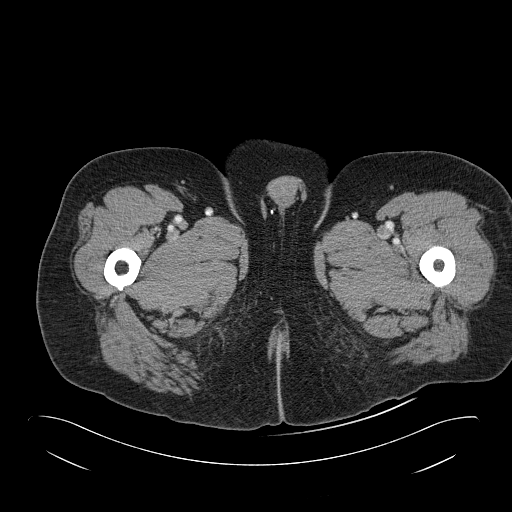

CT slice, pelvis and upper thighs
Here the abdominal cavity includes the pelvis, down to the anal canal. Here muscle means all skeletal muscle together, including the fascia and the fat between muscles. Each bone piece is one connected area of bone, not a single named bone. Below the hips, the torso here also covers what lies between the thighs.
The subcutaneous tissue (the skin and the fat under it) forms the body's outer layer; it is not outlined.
Outlines (x, y in pixels):
bones 1: (118, 247) (129, 247) (131, 248) (138, 255) (141, 260) (141, 265) (140, 266) (140, 268) (139, 269) (136, 279) (131, 284) (125, 286) (122, 290) (119, 290) (116, 287) (111, 285) (105, 279) (103, 274) (103, 269) (104, 268) (105, 261) (108, 255) (113, 250)
bones 2: (432, 245) (441, 245) (446, 248) (448, 248) (452, 252) (454, 256) (454, 258) (455, 259) (455, 274) (454, 275) (454, 277) (453, 279) (448, 284) (442, 287) (436, 287) (432, 283) (428, 281) (422, 275) (419, 270) (419, 267) (418, 266) (419, 260) (420, 259) (421, 255)
torso 1: (243, 136) (260, 136) (300, 146) (305, 146) (319, 152) (327, 159) (329, 163) (330, 181) (325, 197) (325, 202) (319, 215) (309, 225) (296, 231) (289, 238) (287, 242) (243, 220) (239, 216) (236, 210) (236, 207) (231, 198) (227, 181) (222, 170) (223, 160) (230, 147)
torso 2: (283, 317) (284, 317) (285, 325) (286, 326) (286, 335) (287, 336) (287, 344) (286, 345) (286, 352) (279, 365) (279, 368) (277, 367) (277, 366) (273, 362) (273, 360) (271, 358) (271, 337) (272, 336) (272, 332) (273, 331) (273, 329) (275, 325) (276, 325)
abdominal cavity: (280, 331) (282, 331) (282, 332) (283, 333) (283, 339) (282, 340) (282, 341) (281, 342) (281, 344) (279, 346) (279, 347) (278, 347) (277, 348) (276, 348) (276, 346) (275, 345) (275, 340) (276, 339) (276, 338) (277, 337) (277, 333) (278, 332) (279, 332)
left leg: (408, 150) (434, 150) (464, 158) (492, 174) (511, 195) (511, 363) (490, 380) (429, 384) (406, 397) (387, 400) (353, 417) (313, 426) (288, 425) (284, 422) (279, 387) (279, 369) (288, 344) (282, 305) (284, 249) (296, 232) (320, 215) (331, 179) (349, 162) (378, 152)
muscle 1: (139, 180) (168, 183) (189, 190) (239, 224) (247, 238) (247, 271) (241, 287) (217, 323) (198, 344) (198, 362) (204, 378) (204, 387) (191, 398) (147, 390) (133, 384) (106, 365) (100, 352) (93, 309) (86, 296) (76, 286) (69, 267) (76, 219) (81, 205) (102, 190); inner edge: (118, 247) (129, 247) (131, 248) (138, 255) (141, 260) (141, 265) (140, 266) (140, 268) (139, 269) (136, 279) (131, 284) (125, 286) (122, 290) (119, 290) (116, 287) (111, 285) (105, 279) (103, 274) (103, 269) (104, 268) (105, 261) (108, 255) (113, 250)
muscle 2: (405, 189) (449, 189) (459, 192) (481, 205) (485, 213) (486, 228) (497, 256) (495, 283) (488, 299) (477, 310) (472, 320) (468, 352) (462, 358) (424, 367) (396, 366) (380, 360) (373, 350) (348, 327) (316, 281) (311, 266) (313, 245) (329, 222) (351, 205) (367, 198) with a hole at (432, 245) (441, 245) (446, 248) (448, 248) (452, 252) (454, 256) (454, 258) (455, 259) (455, 274) (454, 275) (454, 277) (453, 279) (448, 284) (442, 287) (436, 287) (432, 283) (428, 281) (422, 275) (419, 270) (419, 267) (418, 266) (419, 260) (420, 259) (421, 255)
muscle 3: (280, 321) (285, 321) (287, 324) (287, 326) (289, 330) (289, 344) (286, 347) (285, 349) (285, 353) (283, 355) (280, 355) (278, 353) (274, 356) (272, 356) (268, 351) (268, 342) (269, 341) (269, 338) (270, 337) (270, 334) (271, 333) (272, 329) (274, 327) (274, 326), around a hole outlined by (280, 331) (282, 331) (282, 332) (283, 333) (283, 339) (282, 340) (282, 341) (281, 342) (281, 344) (279, 346) (279, 347) (278, 347) (277, 348) (276, 348) (276, 346) (275, 345) (275, 340) (276, 339) (276, 338) (277, 337) (277, 333) (278, 332) (279, 332)
right leg: (148, 146) (182, 148) (205, 157) (222, 171) (238, 216) (286, 243) (281, 268) (283, 316) (274, 325) (270, 337) (270, 358) (278, 368) (283, 412) (283, 422) (278, 425) (226, 430) (137, 411) (68, 382) (48, 356) (35, 305) (37, 271) (65, 187) (84, 164) (97, 156)